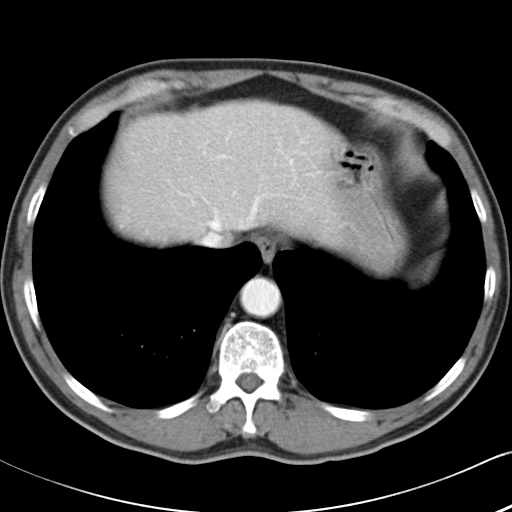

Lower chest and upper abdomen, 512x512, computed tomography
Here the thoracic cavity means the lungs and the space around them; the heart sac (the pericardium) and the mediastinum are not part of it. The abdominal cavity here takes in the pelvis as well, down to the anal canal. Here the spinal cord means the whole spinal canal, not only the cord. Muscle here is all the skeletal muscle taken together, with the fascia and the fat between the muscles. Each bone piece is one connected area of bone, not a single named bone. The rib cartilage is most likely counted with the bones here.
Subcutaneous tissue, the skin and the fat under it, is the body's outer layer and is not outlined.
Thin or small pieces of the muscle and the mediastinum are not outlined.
Outlines (x, y in pixels):
spinal cord: 243,373 253,373 254,374 255,374 262,381 261,382 261,383 255,389 254,389 252,391 251,391 250,392 247,392 246,391 245,391 242,388 241,388 237,383 237,379 239,377 239,376 240,375 241,375
bones 1: 240,321 253,321 270,328 279,339 286,366 277,385 282,394 281,400 260,398 253,408 252,420 256,428 254,434 242,432 246,412 238,397 230,398 215,412 209,412 206,408 209,395 220,381 217,360 222,335; inner edge: 243,373 253,373 254,374 255,374 262,381 261,382 261,383 255,389 254,389 252,391 251,391 250,392 247,392 246,391 245,391 242,388 241,388 237,383 237,379 239,377 239,376 240,375 241,375
bones 2: 147,79 166,81 179,80 184,83 183,87 179,89 170,87 157,94 124,103 110,112 96,125 75,137 71,137 68,133 68,128 70,126 75,126 80,116 89,108 96,104 105,102 118,96 133,83 139,80
bones 3: 355,95 369,97 388,97 392,99 400,100 420,113 425,114 426,116 433,119 447,130 451,138 450,152 445,150 434,141 429,139 426,133 413,123 404,119 397,117 390,117 376,112 364,103 355,100 353,98
bones 4: 66,371 69,372 85,387 86,387 92,392 99,396 101,400 106,405 113,408 114,409 114,411 113,412 107,412 106,411 104,411 100,408 89,403 87,401 83,399 80,396 79,396 66,383 63,377 63,373
bones 5: 462,355 466,356 466,361 465,362 465,364 462,370 456,377 456,378 447,387 446,387 441,392 437,394 434,397 425,402 422,402 422,399 425,395 426,392 430,388 431,388 448,371 448,370 453,365 453,364
bones 6: 318,401 322,401 323,402 326,402 333,405 341,406 342,407 358,408 359,409 363,409 364,410 369,410 371,412 372,416 370,419 368,419 364,421 352,421 351,420 341,419 332,415 327,411 324,410 321,407
bones 7: 199,390 203,390 203,393 198,399 196,404 181,414 177,415 174,417 171,417 170,418 158,418 156,416 155,414 155,411 157,409 159,409 166,406 169,406 172,404 185,400 195,394
bones 8: 29,275 32,277 33,280 33,285 35,291 35,297 37,303 37,308 38,309 39,317 40,318 40,329 39,330 36,328 31,318 31,316 29,313 25,301 24,293 23,292 23,283 24,280 25,278
bones 9: 43,182 46,182 47,183 47,187 43,196 42,201 40,204 35,221 33,224 27,224 27,222 26,221 27,219 27,212 28,211 28,208 29,207 29,204 30,203 31,198 35,191 38,188 39,185
bones 10: 489,265 491,265 492,266 493,266 493,267 494,268 494,270 495,271 495,287 494,288 494,291 493,292 493,295 492,296 490,301 489,302 483,302 483,296 484,295 484,281 485,280 485,272 486,271 486,268
bones 11: 472,187 476,189 482,201 483,206 485,209 485,212 486,213 486,221 484,223 480,223 480,221 478,218 478,216 474,208 473,202 472,201 472,198 471,197 470,191 469,190 469,189
muscle: 234,68 284,70 292,72 303,72 304,73 317,74 338,80 347,80 363,83 379,88 398,96 418,102 438,114 455,131 472,162 472,164 480,179 484,191 487,196 491,209 491,214 494,224 494,232 496,236 496,240 500,254 501,282 495,312 489,327 489,330 487,333 483,353 471,374 462,385 447,399 441,402 425,414 368,442 344,449 334,451 326,451 319,453 311,453 310,454 304,454 289,451 279,447 276,444 265,441 262,439 250,438 249,437 248,438 244,437 243,438 223,440 206,448 202,448 193,451 174,450 149,444 137,440 114,429 98,418 85,412 74,404 58,388 40,367 30,352 23,336 21,327 16,316 16,311 13,300 13,290 12,289 14,248 15,247 16,227 17,226 18,215 21,210 22,202 39,167 56,137 66,122 89,100 109,89 114,85 138,74 157,69 200,71 201,70 233,69, around a hole outlined by 263,74 425,135 413,123 376,112 353,98 359,95 400,100 447,130 451,138 449,153 467,187 476,189 485,209 486,221 480,224 485,267 491,265 495,271 493,295 489,302 482,303 461,354 466,356 465,364 456,378 431,399 422,402 425,391 397,406 370,409 370,419 352,421 338,418 321,407 320,400 292,373 287,355 286,370 277,385 281,400 257,400 252,411 256,432 249,434 242,432 246,412 238,397 230,398 215,412 206,408 209,395 220,381 217,341 209,371 199,388 203,393 194,406 174,417 158,418 155,411 159,407 129,407 100,396 114,409 104,411 83,399 66,383 63,373 68,370 52,346 42,321 38,330 29,313 23,283 27,276 33,276 34,225 26,221 31,198 41,183 48,185 52,179 73,139 68,128 75,126 89,108 118,96 133,83 147,79 179,80 184,86 170,87 124,103 116,111 178,94 223,88
abdominal cavity: 263,74 415,129 421,152 446,185 452,218 447,253 429,286 413,291 397,282 373,281 319,250 280,250 265,238 227,248 157,250 122,241 108,230 101,217 97,188 100,166 116,129 117,110 178,94 207,92
mediastinum: 258,239 265,239 279,249 272,259 272,271 284,303 287,351 285,360 284,349 276,333 270,327 253,320 240,320 227,328 221,335 218,349 217,332 234,296 238,290 255,275 262,265 263,261 261,252 254,244
thoracic cavity 1: 113,111 118,113 115,129 99,166 96,188 100,217 111,235 157,251 227,249 248,242 257,247 262,261 237,290 219,324 215,352 199,389 162,407 115,403 68,371 42,323 33,279 34,224 54,171 70,142
thoracic cavity 2: 429,140 455,160 480,224 485,271 482,304 473,331 447,371 410,401 364,409 320,400 289,368 285,303 274,276 273,259 278,251 319,251 373,282 393,282 413,292 429,287 440,274 453,230 447,185 427,157
torso: 170,57 275,57 367,71 429,94 458,120 502,212 511,291 487,367 441,420 373,453 340,461 296,465 240,456 184,464 100,437 64,414 38,387 13,342 0,297 0,258 13,200 36,149 72,101 118,70